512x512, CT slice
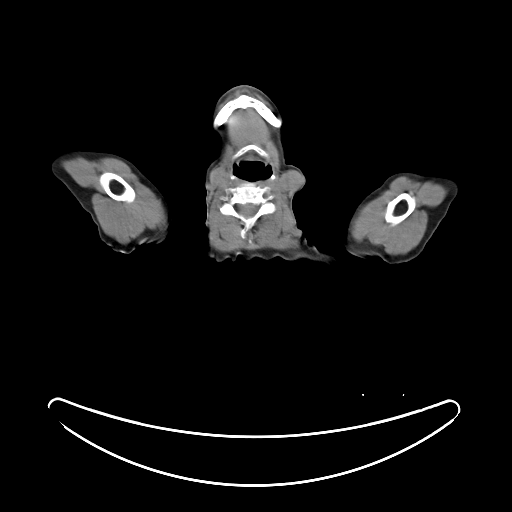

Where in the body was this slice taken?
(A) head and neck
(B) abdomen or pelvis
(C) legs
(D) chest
(A) head and neck
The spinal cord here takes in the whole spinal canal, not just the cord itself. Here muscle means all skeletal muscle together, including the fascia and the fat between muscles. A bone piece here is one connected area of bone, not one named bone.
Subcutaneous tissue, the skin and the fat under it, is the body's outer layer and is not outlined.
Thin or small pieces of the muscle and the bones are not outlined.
{"left_arm":[[[402,171],[410,171],[424,175],[444,176],[453,179],[457,183],[459,190],[450,204],[446,215],[421,253],[410,261],[391,264],[379,257],[373,257],[369,260],[359,259],[351,255],[344,247],[343,237],[346,225],[354,208],[367,194],[378,187],[387,177]]],"right_arm":[[[75,149],[111,152],[118,154],[132,162],[157,187],[167,202],[173,225],[171,237],[159,244],[138,245],[128,253],[116,251],[104,243],[99,238],[96,225],[92,221],[90,215],[82,208],[74,196],[52,173],[50,169],[50,161],[56,154],[66,150]]],"torso":[[[299,227],[302,230],[303,234],[310,243],[314,245],[318,249],[322,251],[328,252],[335,256],[339,263],[339,267],[333,268],[325,264],[314,263],[311,261],[308,261],[307,260],[287,261],[282,259],[284,258],[292,248],[295,242],[296,237],[298,234]]],"head_and_neck":[{"outer":[[241,84],[260,89],[279,109],[284,120],[285,160],[303,172],[305,184],[293,196],[292,208],[298,231],[283,258],[247,261],[238,256],[234,261],[217,262],[209,258],[204,249],[205,171],[216,157],[220,144],[212,127],[211,114],[218,98],[228,89]],"hole":[[242,162],[257,162],[258,163],[262,163],[266,167],[268,167],[270,169],[270,173],[269,175],[267,176],[267,177],[264,177],[263,178],[260,178],[259,179],[245,179],[243,177],[240,177],[237,175],[235,175],[233,173],[233,167],[234,166],[237,166]]}],"spinal_cord":[[[248,203],[250,203],[251,204],[254,204],[255,205],[258,205],[258,208],[257,209],[256,212],[253,215],[252,215],[251,216],[249,216],[248,217],[246,217],[242,214],[239,213],[237,211],[237,210],[236,209],[236,205],[243,205],[244,204],[247,204]]],"muscle":[{"outer":[[239,108],[253,108],[270,125],[279,129],[279,133],[274,138],[279,151],[281,163],[286,169],[295,170],[301,176],[300,185],[292,192],[288,198],[288,206],[300,242],[300,245],[297,249],[291,249],[286,251],[272,248],[261,248],[253,250],[240,248],[234,251],[219,251],[211,245],[211,229],[209,223],[211,205],[209,175],[211,170],[221,159],[227,141],[226,132],[220,129],[219,127],[226,123],[233,112]],"holes":[[[244,181],[255,182],[261,187],[269,186],[269,192],[273,195],[272,202],[275,205],[275,210],[259,217],[246,232],[245,238],[242,238],[240,235],[243,227],[242,222],[232,215],[222,214],[219,209],[223,203],[221,197],[226,194],[225,189],[235,187]],[[242,162],[257,162],[258,163],[262,163],[266,167],[268,167],[270,169],[270,173],[267,177],[259,179],[245,179],[243,177],[240,177],[237,175],[235,175],[234,176],[235,178],[232,179],[230,177],[230,175],[233,173],[233,167],[237,166]],[[249,144],[254,144],[260,147],[262,149],[263,149],[269,155],[269,157],[268,158],[266,158],[260,155],[254,150],[249,150],[245,152],[243,154],[240,155],[234,160],[233,160],[232,159],[232,157],[233,155],[242,147],[246,145],[248,145]]]},{"outer":[[75,156],[81,156],[91,160],[102,157],[113,157],[123,161],[128,165],[139,180],[160,200],[166,217],[164,227],[162,229],[147,228],[127,243],[121,243],[107,235],[103,231],[92,207],[89,193],[90,191],[80,186],[61,165],[61,161],[63,159]],"hole":[[103,172],[112,172],[122,177],[133,188],[135,192],[135,199],[132,202],[126,202],[125,201],[119,201],[118,200],[115,200],[113,198],[109,196],[105,192],[105,191],[103,189],[103,188],[101,186],[99,182],[99,177],[100,175]]},{"outer":[[400,176],[406,176],[420,182],[431,181],[439,183],[447,187],[448,192],[442,202],[430,211],[425,232],[419,243],[405,254],[391,255],[380,247],[376,247],[365,242],[356,242],[351,236],[350,229],[352,222],[360,208],[386,190],[389,187],[390,183]],"hole":[[403,192],[406,192],[410,194],[415,198],[415,207],[412,211],[412,212],[407,217],[406,217],[399,223],[392,226],[390,224],[387,223],[384,219],[384,213],[386,209],[386,206],[389,201],[390,201],[396,196],[397,196],[399,194]]},[[241,89],[247,89],[248,90],[251,90],[258,93],[271,105],[272,107],[272,110],[260,99],[246,93],[241,93],[237,96],[228,100],[217,111],[217,112],[217,110],[218,109],[219,105],[228,95],[231,94],[236,90],[240,90]]],"bones":[{"outer":[[244,181],[255,182],[261,187],[269,186],[269,192],[273,195],[272,202],[275,205],[275,210],[259,217],[246,232],[245,238],[242,238],[240,235],[243,227],[242,222],[232,215],[222,214],[219,209],[223,203],[221,197],[226,194],[225,189],[235,187]],"hole":[[248,203],[250,203],[251,204],[254,204],[255,205],[258,205],[258,208],[257,209],[256,212],[253,215],[252,215],[251,216],[249,216],[248,217],[246,217],[242,214],[239,213],[237,211],[237,210],[236,209],[236,205],[243,205],[244,204],[247,204]]},[[241,94],[249,95],[260,100],[264,103],[281,120],[282,122],[281,127],[277,128],[270,124],[253,107],[246,107],[245,108],[239,107],[236,108],[232,112],[226,122],[223,123],[220,126],[214,128],[212,126],[212,122],[218,111],[228,101],[237,97]],[[103,172],[112,172],[122,177],[133,188],[135,192],[135,199],[132,202],[126,202],[125,201],[119,201],[118,200],[115,200],[113,198],[109,196],[105,192],[105,191],[103,189],[103,188],[101,186],[99,182],[99,177],[100,175]],[[403,192],[406,192],[410,194],[415,198],[415,207],[412,211],[412,212],[407,217],[406,217],[399,223],[392,226],[390,224],[387,223],[384,219],[384,213],[386,209],[386,206],[389,201],[390,201],[396,196],[397,196],[399,194]],[[249,144],[254,144],[260,147],[262,149],[263,149],[269,155],[269,157],[268,158],[266,158],[260,155],[254,150],[249,150],[245,152],[243,154],[240,155],[234,160],[233,160],[232,159],[232,157],[233,155],[242,147],[246,145],[248,145]]]}